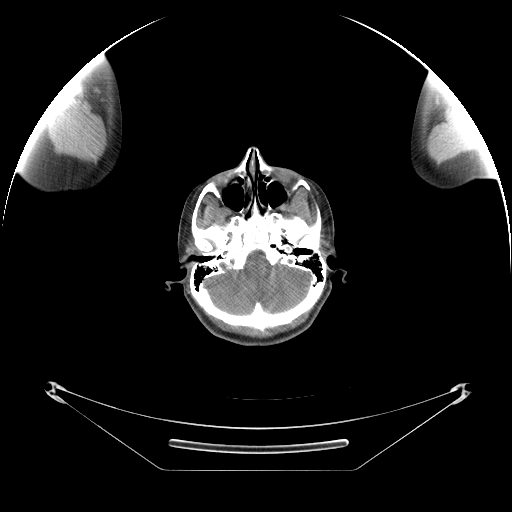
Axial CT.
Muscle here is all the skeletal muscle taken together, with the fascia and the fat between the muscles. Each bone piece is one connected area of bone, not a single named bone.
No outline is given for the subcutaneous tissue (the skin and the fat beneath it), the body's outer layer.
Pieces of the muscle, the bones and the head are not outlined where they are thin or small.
{"brain":[[[257,251],[263,254],[271,266],[280,264],[305,272],[308,276],[308,281],[303,297],[290,307],[277,311],[265,309],[258,300],[254,302],[251,311],[247,313],[234,313],[219,307],[212,299],[206,286],[207,280],[224,274],[227,271],[242,270],[248,257]]],"head":[{"outer":[[251,146],[268,165],[292,168],[322,188],[333,214],[337,253],[325,260],[346,270],[344,283],[341,271],[332,275],[330,294],[310,327],[270,346],[216,337],[193,312],[180,283],[165,289],[166,280],[186,273],[176,245],[186,197],[212,174],[237,166]],"holes":[[[260,182],[263,184],[265,189],[266,189],[270,185],[270,184],[274,182],[278,182],[284,189],[285,196],[286,197],[285,199],[282,201],[281,203],[276,205],[274,207],[273,207],[267,201],[266,203],[264,203],[262,201],[261,194],[258,188],[258,184]],[[239,180],[241,180],[240,186],[242,188],[242,191],[245,195],[245,197],[246,198],[247,196],[247,199],[246,198],[245,199],[245,204],[243,206],[237,210],[234,210],[229,206],[226,205],[222,196],[222,192],[223,190],[229,185],[238,184],[239,183]]]}],"left_arm":[[[428,72],[433,72],[436,74],[448,86],[461,102],[473,120],[491,155],[497,171],[498,176],[497,180],[490,178],[475,179],[456,188],[439,189],[431,186],[423,181],[414,171],[410,161],[410,134],[417,99],[420,92],[420,89]]],"muscle":[[[79,71],[81,71],[83,74],[96,105],[103,118],[103,125],[104,126],[103,150],[101,156],[96,160],[71,157],[66,155],[62,151],[54,149],[49,143],[49,137],[40,118],[49,104],[55,106],[64,106],[69,102],[71,95],[67,83]],[[450,89],[461,102],[473,120],[488,149],[484,149],[478,151],[472,151],[468,153],[465,153],[460,158],[451,162],[448,162],[447,163],[432,163],[429,159],[430,134],[432,129],[432,124],[436,113],[439,109],[440,104],[443,101],[444,98],[448,95]],[[307,181],[310,182],[317,190],[326,214],[326,223],[328,226],[328,243],[321,247],[322,215],[320,207],[315,200],[313,201],[315,219],[312,223],[308,223],[298,214],[285,216],[282,212],[286,207],[288,199],[300,187],[304,188],[307,191],[311,189]],[[199,306],[207,315],[211,316],[227,325],[233,327],[246,327],[257,330],[261,333],[267,329],[272,329],[279,326],[290,324],[303,314],[311,310],[311,311],[305,321],[292,329],[265,337],[252,337],[225,331],[217,327],[210,321],[200,309]],[[208,193],[212,194],[221,203],[226,211],[230,214],[229,215],[228,220],[224,223],[219,223],[217,221],[213,221],[207,226],[202,227],[201,226],[199,226],[197,224],[197,217],[198,216],[198,212],[199,211],[199,208],[201,205],[202,200],[206,194]],[[202,186],[203,186],[199,192],[195,201],[194,207],[192,210],[192,213],[191,214],[191,218],[190,219],[190,232],[193,239],[193,244],[198,252],[190,252],[189,251],[186,251],[185,249],[187,218],[188,217],[188,213],[190,209],[191,200],[196,191]]],"bones":[{"outer":[[250,147],[277,178],[257,184],[264,204],[281,204],[299,177],[309,185],[281,212],[312,224],[317,203],[328,266],[310,310],[261,332],[207,314],[189,286],[190,262],[203,259],[191,232],[198,196],[214,180],[226,206],[243,207],[242,180],[226,185]],"holes":[[[257,251],[263,254],[271,266],[280,264],[305,272],[308,276],[308,281],[303,297],[290,307],[277,311],[265,309],[258,300],[254,302],[251,311],[247,313],[234,313],[219,307],[212,299],[206,286],[207,280],[224,274],[227,271],[242,270],[248,257]],[[208,193],[212,194],[221,203],[226,211],[230,214],[229,215],[228,220],[224,223],[219,223],[217,221],[213,221],[207,226],[202,227],[201,226],[199,226],[197,224],[197,217],[198,216],[198,212],[199,211],[199,208],[201,205],[202,200],[206,194]]]},[[66,84],[67,85],[67,87],[69,90],[69,94],[70,95],[70,98],[69,99],[68,102],[64,105],[55,105],[54,104],[51,104],[50,103],[52,101],[52,100],[55,97],[55,96],[58,93],[58,92],[59,92],[60,91],[60,90]]],"right_arm":[[[102,52],[104,52],[105,56],[111,63],[114,69],[120,96],[122,113],[122,142],[117,163],[106,179],[97,187],[91,190],[67,191],[58,193],[44,193],[38,191],[29,186],[15,171],[24,145],[36,123],[58,92],[85,64]]]}